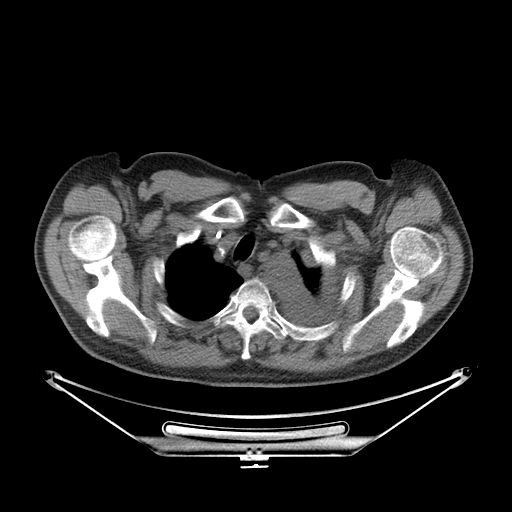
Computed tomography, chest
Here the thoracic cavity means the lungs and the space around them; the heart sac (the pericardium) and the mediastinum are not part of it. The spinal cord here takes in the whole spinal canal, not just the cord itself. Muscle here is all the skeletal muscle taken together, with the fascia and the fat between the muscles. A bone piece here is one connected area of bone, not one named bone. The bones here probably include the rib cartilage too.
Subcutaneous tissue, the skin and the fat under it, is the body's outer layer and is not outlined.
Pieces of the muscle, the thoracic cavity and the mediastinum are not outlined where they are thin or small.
The mediastinum is outlined by [[250,219],[256,219],[271,232],[290,234],[301,243],[305,253],[301,252],[297,246],[276,252],[257,270],[257,274],[262,280],[256,276],[244,280],[233,268],[215,261],[211,250],[200,242],[199,237],[211,223],[219,223],[224,227],[232,228],[239,227]]. The spinal cord is outlined by [[248,306],[252,306],[253,307],[254,307],[256,309],[256,310],[257,311],[257,316],[256,317],[256,318],[255,318],[252,321],[249,321],[248,320],[247,320],[247,319],[243,315],[243,311],[244,310],[244,309],[246,307],[247,307]]. The torso is outlined by [[154,151],[190,153],[260,180],[323,161],[364,162],[377,176],[372,236],[380,259],[420,284],[466,293],[436,334],[407,360],[379,374],[346,382],[295,387],[209,386],[144,376],[98,360],[71,337],[36,269],[73,267],[104,256],[127,220],[126,167]]. The left arm is outlined by [[394,156],[408,156],[417,158],[429,163],[437,170],[449,189],[467,228],[473,248],[473,257],[474,258],[473,271],[467,291],[420,283],[407,277],[391,267],[389,267],[381,259],[373,236],[378,200],[378,177],[387,178],[389,176],[391,170],[388,160]]. The right arm is outlined by [[111,150],[117,150],[120,152],[121,154],[121,165],[125,167],[126,220],[118,239],[104,255],[92,261],[67,267],[35,268],[34,258],[33,257],[33,243],[34,242],[35,231],[46,201],[56,182],[68,167],[82,157],[94,153],[102,153]]. The bones appear in 10 outlined pieces: piece 1: [[404,226],[414,226],[431,234],[440,242],[443,251],[437,269],[403,294],[407,299],[424,304],[417,328],[402,343],[386,347],[404,311],[403,305],[394,301],[354,335],[351,347],[344,352],[344,336],[354,323],[379,303],[382,284],[394,274],[390,239]]; piece 2: [[97,214],[115,225],[117,236],[111,262],[121,278],[123,293],[154,322],[153,343],[137,316],[113,299],[107,299],[102,309],[108,337],[96,334],[85,321],[89,311],[86,294],[96,285],[97,278],[83,268],[83,262],[70,250],[68,234],[75,222]]; piece 3: [[255,277],[267,286],[277,310],[291,323],[315,327],[336,321],[338,326],[333,333],[319,340],[295,340],[288,335],[278,339],[262,330],[250,338],[250,358],[243,360],[243,340],[232,325],[221,328],[212,323],[199,325],[223,308],[230,295],[244,281]]; inner edge: [[248,306],[252,306],[253,307],[254,307],[256,309],[256,310],[257,311],[257,316],[256,317],[256,318],[255,318],[252,321],[249,321],[248,320],[247,320],[247,319],[243,315],[243,311],[244,310],[244,309],[246,307],[247,307]]; piece 4: [[227,196],[231,196],[239,201],[240,205],[244,212],[244,221],[243,222],[241,223],[232,223],[231,222],[208,222],[207,221],[204,221],[198,218],[196,216],[196,214],[202,209],[209,206],[211,204],[213,204],[215,202],[217,202],[222,198],[226,197]]; piece 5: [[283,203],[288,203],[290,204],[295,209],[298,210],[303,214],[309,217],[312,220],[313,220],[314,222],[313,225],[309,228],[289,228],[288,227],[276,227],[275,226],[272,226],[270,224],[270,222],[269,221],[270,214],[272,210],[273,210],[279,205]]; piece 6: [[311,236],[314,236],[316,238],[317,241],[326,250],[330,250],[331,249],[334,251],[335,253],[335,265],[333,267],[325,267],[324,268],[322,266],[316,264],[316,262],[312,254],[312,251],[309,245],[309,238]]; piece 7: [[159,301],[160,302],[162,302],[163,303],[167,304],[173,310],[187,318],[188,319],[187,323],[189,325],[190,325],[188,327],[181,327],[180,326],[175,325],[166,320],[161,315],[161,314],[158,311],[156,307],[156,303]]; piece 8: [[197,223],[199,223],[201,225],[201,231],[199,234],[198,238],[191,243],[187,243],[186,244],[184,244],[182,246],[178,248],[176,248],[175,247],[175,242],[176,241],[176,237],[178,233],[182,231],[184,232],[189,232],[191,231],[194,228],[194,227]]; piece 9: [[349,272],[351,272],[354,275],[354,276],[355,277],[355,286],[354,287],[354,289],[353,290],[351,295],[346,300],[346,301],[344,303],[342,303],[339,300],[339,296],[340,295],[340,291],[342,288],[342,285],[343,284],[344,279],[345,278],[346,275]]; piece 10: [[160,257],[161,257],[164,260],[164,262],[165,263],[165,274],[164,275],[164,285],[163,286],[162,286],[161,285],[160,285],[158,283],[158,282],[156,280],[156,279],[155,278],[155,277],[154,276],[154,273],[153,272],[153,261],[156,258],[159,258]]. The thoracic cavity appears in 2 outlined pieces: piece 1: [[295,247],[301,253],[313,258],[316,265],[325,270],[329,268],[330,270],[337,270],[340,274],[342,284],[339,293],[324,309],[323,321],[319,325],[299,325],[285,318],[278,310],[277,303],[268,286],[258,274],[260,267],[272,255],[286,252]]; piece 2: [[198,239],[202,245],[206,246],[210,250],[215,262],[223,264],[233,269],[243,279],[243,281],[229,295],[228,301],[223,307],[205,319],[193,320],[189,319],[176,311],[169,305],[168,291],[165,285],[165,275],[166,262],[175,250],[184,245],[191,244]]. The muscle is outlined by [[162,169],[222,178],[257,199],[296,182],[359,181],[375,194],[367,227],[373,239],[399,198],[428,184],[461,240],[459,285],[418,328],[425,304],[404,294],[438,269],[444,251],[431,233],[404,225],[389,239],[393,274],[381,284],[378,303],[341,340],[348,352],[355,335],[397,302],[403,311],[385,343],[391,349],[321,373],[247,363],[250,340],[262,331],[295,341],[333,334],[339,323],[323,323],[324,311],[338,294],[347,301],[356,277],[349,271],[342,283],[340,271],[330,269],[335,251],[314,235],[308,238],[312,258],[290,233],[271,231],[256,218],[222,225],[245,221],[240,201],[227,195],[195,214],[209,225],[179,231],[167,260],[152,261],[153,276],[167,291],[167,303],[155,307],[181,328],[189,320],[232,326],[242,360],[221,368],[151,363],[103,338],[110,336],[107,300],[136,316],[150,344],[157,336],[155,322],[124,293],[113,265],[114,222],[88,215],[67,234],[69,250],[96,278],[85,294],[85,323],[54,288],[43,239],[77,182],[105,185],[119,201],[125,232],[136,234],[138,184]], around a hole outlined by [[283,203],[288,203],[290,204],[295,209],[298,210],[303,214],[309,217],[312,220],[313,220],[314,222],[313,225],[309,228],[289,228],[288,227],[276,227],[275,226],[272,226],[270,224],[270,222],[269,221],[270,214],[272,210],[273,210],[279,205]].